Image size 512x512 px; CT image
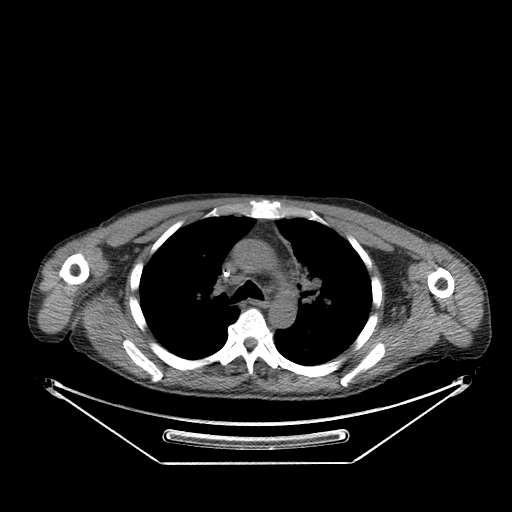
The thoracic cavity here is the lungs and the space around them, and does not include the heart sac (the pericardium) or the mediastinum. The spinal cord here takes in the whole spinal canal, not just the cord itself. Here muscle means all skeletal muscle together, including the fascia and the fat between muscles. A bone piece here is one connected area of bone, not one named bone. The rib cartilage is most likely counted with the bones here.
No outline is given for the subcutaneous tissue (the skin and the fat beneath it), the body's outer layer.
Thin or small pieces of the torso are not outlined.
{"torso":[[[199,192],[349,197],[366,202],[435,237],[423,252],[422,270],[437,339],[445,358],[436,363],[416,367],[376,387],[347,397],[277,401],[166,393],[136,384],[78,353],[67,335],[85,302],[99,265],[88,227],[97,225],[116,212],[136,203],[164,196]]],"muscle":[{"outer":[[222,197],[263,198],[215,206],[185,225],[177,220],[153,242],[147,262],[139,260],[130,270],[130,290],[139,295],[128,297],[131,316],[142,332],[149,328],[157,341],[148,346],[167,365],[186,371],[216,362],[225,366],[240,356],[249,375],[260,358],[273,369],[317,378],[338,370],[346,358],[336,357],[351,345],[357,351],[374,332],[378,313],[370,311],[380,307],[383,288],[376,275],[370,278],[365,249],[314,210],[273,198],[357,210],[444,247],[483,291],[483,316],[472,344],[435,344],[341,390],[282,393],[244,383],[223,390],[165,385],[158,382],[163,372],[128,338],[122,347],[150,379],[102,357],[78,326],[42,331],[39,284],[44,264],[58,248],[132,212]],"holes":[[[369,248],[383,251],[387,253],[396,252],[398,254],[403,255],[407,258],[405,268],[405,275],[401,279],[401,282],[397,291],[397,298],[394,305],[391,307],[387,314],[385,310],[386,307],[386,291],[385,290],[386,283],[382,276],[379,267],[370,253]],[[131,243],[132,244],[143,245],[143,246],[139,253],[133,260],[133,262],[131,264],[126,274],[125,280],[124,281],[124,285],[118,284],[113,281],[107,281],[108,278],[113,274],[111,270],[114,267],[110,259],[110,254],[112,254],[114,250],[122,246]],[[78,252],[80,252],[84,256],[85,259],[88,263],[88,266],[89,267],[89,275],[88,277],[83,282],[81,283],[79,283],[78,284],[69,284],[67,283],[59,275],[59,271],[64,261],[70,255],[74,253],[77,253]],[[438,266],[442,267],[443,268],[445,268],[452,275],[454,279],[454,288],[453,289],[453,292],[451,294],[451,295],[448,297],[445,297],[444,298],[438,297],[434,295],[430,291],[428,287],[428,284],[427,283],[427,276],[430,272],[435,270]],[[379,342],[383,343],[385,346],[385,352],[384,353],[384,355],[373,366],[370,367],[364,371],[361,371],[355,375],[350,380],[347,386],[345,387],[343,386],[340,383],[340,379],[345,374],[354,368],[374,347],[375,344]]]}],"mediastinum":[[[255,219],[276,219],[280,232],[290,242],[293,254],[298,262],[299,283],[297,288],[299,296],[295,319],[289,327],[276,329],[274,332],[270,329],[264,315],[258,308],[249,307],[240,312],[237,306],[231,305],[222,285],[222,263],[234,244],[255,224]]],"thoracic_cavity":[[[226,215],[241,215],[255,220],[249,230],[233,244],[221,263],[222,290],[228,303],[239,309],[239,314],[235,321],[227,326],[226,340],[219,349],[200,358],[185,358],[161,345],[148,326],[140,304],[139,287],[142,272],[152,255],[181,227],[200,219]],[[296,217],[329,227],[345,239],[363,262],[370,279],[371,307],[363,327],[352,343],[343,351],[334,358],[318,364],[301,364],[287,358],[278,350],[274,341],[275,331],[285,330],[292,326],[298,313],[299,262],[291,242],[283,235],[277,224],[278,219]]],"spinal_cord":[[[247,338],[254,338],[257,341],[257,343],[256,344],[256,345],[253,348],[252,348],[251,349],[248,349],[245,346],[245,345],[244,344],[244,342],[245,341],[245,340]]],"right_arm":[[[85,228],[88,228],[98,260],[98,265],[93,279],[85,297],[84,302],[73,320],[71,328],[64,337],[64,339],[60,342],[53,344],[41,342],[33,337],[27,325],[27,307],[29,299],[29,292],[35,277],[37,268],[43,256],[54,244],[63,238]]],"bones":[{"outer":[[249,308],[261,312],[273,332],[275,347],[287,359],[301,365],[339,357],[345,360],[338,369],[317,377],[273,368],[260,357],[249,374],[240,355],[225,365],[216,361],[186,370],[167,364],[152,351],[151,341],[185,359],[206,357],[224,345],[228,326]],"hole":[[247,338],[254,338],[257,341],[257,343],[256,344],[256,345],[253,348],[252,348],[251,349],[248,349],[245,346],[245,345],[244,344],[244,342],[245,341],[245,340]]},[[264,198],[270,201],[277,200],[286,205],[292,205],[312,210],[326,221],[329,226],[315,220],[310,220],[305,217],[299,216],[283,217],[277,219],[254,218],[241,214],[226,214],[202,218],[206,213],[218,206],[234,203],[246,203],[252,199],[259,201]],[[78,252],[80,252],[84,256],[85,259],[88,263],[88,266],[89,267],[89,275],[88,277],[83,282],[81,283],[79,283],[78,284],[69,284],[67,283],[59,275],[59,271],[64,261],[70,255],[74,253],[77,253]],[[438,266],[442,267],[443,268],[445,268],[452,275],[454,279],[454,288],[453,289],[453,292],[451,294],[451,295],[448,297],[445,297],[444,298],[438,297],[434,295],[430,291],[428,287],[428,284],[427,283],[427,276],[430,272],[435,270]],[[125,339],[128,339],[133,342],[133,343],[144,354],[144,355],[147,358],[152,361],[154,363],[154,364],[162,372],[163,375],[160,380],[156,382],[153,382],[151,380],[151,376],[141,367],[138,366],[131,359],[131,358],[123,347],[123,341]],[[379,342],[383,343],[385,346],[385,352],[384,353],[384,355],[373,366],[370,367],[364,371],[361,371],[355,375],[350,380],[347,386],[345,387],[343,386],[340,383],[340,379],[345,374],[354,368],[374,347],[375,344]],[[375,312],[377,313],[377,323],[374,328],[374,330],[373,332],[368,338],[368,339],[360,348],[359,348],[357,350],[353,350],[353,346],[352,345],[353,342],[355,340],[355,339],[357,337],[359,333],[364,327],[369,316],[371,314]],[[132,295],[136,297],[139,300],[139,304],[140,305],[140,307],[141,308],[142,313],[144,316],[144,318],[147,324],[147,326],[144,331],[142,331],[140,329],[140,328],[135,322],[132,316],[132,314],[130,310],[130,307],[129,306],[129,297]],[[179,220],[183,220],[184,221],[184,222],[183,223],[183,225],[182,226],[181,226],[177,230],[176,230],[151,255],[150,254],[150,249],[151,248],[152,245],[154,243],[154,242],[171,225],[172,225],[174,223],[175,223],[177,221],[178,221]],[[347,234],[349,234],[353,237],[354,237],[369,256],[370,258],[370,260],[371,261],[371,268],[370,269],[367,269],[364,262],[362,260],[362,259],[360,257],[358,253],[353,248],[353,247],[350,244],[350,243],[346,239],[346,235]],[[374,275],[375,276],[376,276],[379,279],[379,280],[380,281],[380,283],[381,284],[381,287],[382,288],[382,293],[381,294],[381,301],[380,302],[380,305],[378,308],[376,308],[372,304],[372,289],[371,288],[371,277]],[[139,261],[141,261],[144,264],[144,266],[141,272],[141,275],[140,276],[140,280],[139,281],[139,286],[138,287],[138,289],[134,291],[132,291],[131,290],[131,287],[130,286],[130,275],[131,274],[131,270],[134,266],[134,265],[137,262]]],"left_arm":[[[436,238],[449,244],[469,259],[479,270],[487,286],[489,295],[490,310],[491,311],[492,335],[491,336],[491,341],[487,350],[481,357],[477,359],[454,361],[449,357],[446,357],[439,342],[423,270],[424,252],[429,244]]]}